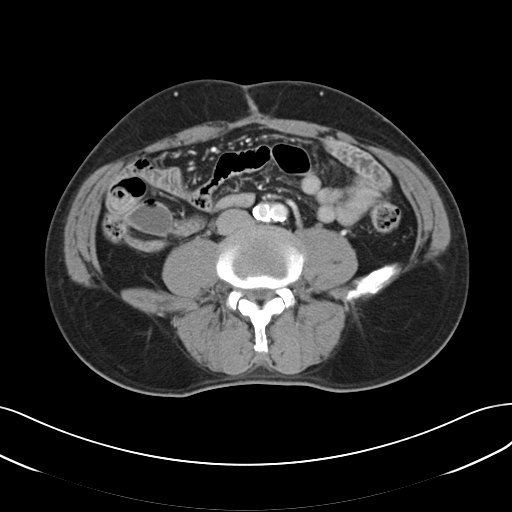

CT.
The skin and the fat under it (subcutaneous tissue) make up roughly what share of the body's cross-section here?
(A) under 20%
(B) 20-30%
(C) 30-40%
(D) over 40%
Answer: (C) 30-40%
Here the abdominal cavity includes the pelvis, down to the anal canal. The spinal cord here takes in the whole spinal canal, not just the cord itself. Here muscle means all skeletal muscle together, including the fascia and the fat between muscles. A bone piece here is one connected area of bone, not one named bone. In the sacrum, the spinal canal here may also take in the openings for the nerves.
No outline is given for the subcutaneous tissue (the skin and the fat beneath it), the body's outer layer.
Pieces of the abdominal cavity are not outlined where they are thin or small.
Outlines:
muscle: 252,115 303,120 336,128 378,143 409,159 434,185 447,215 450,241 445,251 434,260 418,263 380,292 360,301 355,313 345,324 339,343 325,361 311,365 295,374 283,374 260,366 240,377 230,378 200,367 179,345 168,323 115,298 107,291 89,289 74,282 68,274 64,259 64,228 72,202 80,186 90,174 101,166 186,128 208,121 233,122, around a hole outlined by 253,123 371,152 416,220 399,271 346,303 363,276 350,242 322,226 292,233 305,259 288,285 295,303 265,327 267,352 226,305 217,242 174,247 161,268 168,290 112,287 96,253 103,194 128,162
spinal cord: 256,288 267,288 268,289 271,289 272,290 273,290 273,291 275,294 275,296 274,296 272,298 263,302 261,304 259,304 254,301 252,301 251,300 248,299 245,296 245,291 246,290 247,290 248,289 255,289
torso: 200,78 241,84 305,80 334,87 389,119 435,166 461,213 470,277 460,322 447,344 427,364 393,383 356,392 244,384 165,397 111,383 74,354 56,325 44,281 45,241 58,200 87,154 129,110 166,87
abdominal cavity: 253,123 351,143 377,157 396,177 415,216 416,238 407,257 354,277 356,251 335,230 310,226 291,233 260,227 218,243 201,236 174,247 161,268 168,290 112,287 96,253 102,198 112,178 145,153 206,141
bones 1: 260,228 288,231 301,248 305,257 299,278 288,285 294,296 295,303 279,314 274,314 265,327 267,352 254,349 255,331 250,318 241,314 238,309 232,310 226,305 232,286 218,277 215,267 219,243 228,237, around a hole outlined by 256,288 267,288 268,289 271,289 272,290 273,290 273,291 275,294 275,296 274,296 272,298 263,302 261,304 259,304 254,301 252,301 251,300 248,299 245,296 245,291 246,290 247,290 248,289 255,289
bones 2: 394,262 398,262 400,268 399,271 394,274 377,292 375,293 366,293 363,294 358,298 348,301 346,303 344,301 344,297 347,291 349,289 355,287 357,280 360,279 363,276 375,269